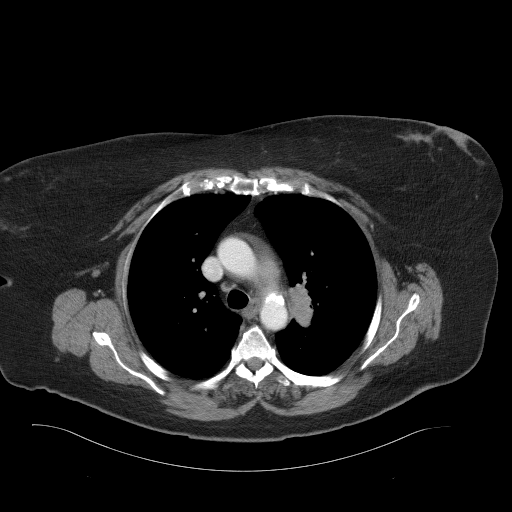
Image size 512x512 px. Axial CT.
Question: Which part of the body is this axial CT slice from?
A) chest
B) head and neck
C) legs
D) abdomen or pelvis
Answer: A) chest
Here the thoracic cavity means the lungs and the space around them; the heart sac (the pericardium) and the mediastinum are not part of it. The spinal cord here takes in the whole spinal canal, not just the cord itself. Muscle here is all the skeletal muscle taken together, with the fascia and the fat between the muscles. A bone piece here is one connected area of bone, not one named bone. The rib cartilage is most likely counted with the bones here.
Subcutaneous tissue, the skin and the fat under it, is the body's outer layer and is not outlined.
Outlines (x, y in pixels):
muscle: 262,166 293,167 309,171 349,187 359,194 382,220 376,218 374,220 377,241 400,283 410,279 409,266 426,262 433,268 440,281 443,293 441,327 439,336 435,340 420,341 410,353 382,367 353,399 341,406 312,414 285,416 272,413 257,404 244,415 212,421 189,419 169,413 145,389 131,384 103,380 91,370 86,360 70,353 61,353 53,345 51,340 53,324 51,313 54,299 58,294 76,287 83,289 88,299 95,300 103,296 113,296 116,261 129,238 124,236 116,239 114,234 101,239 134,203 158,185 190,170 207,167 227,167 246,174 249,170, around holes outlined by 222,174 307,182 335,198 365,236 375,266 376,293 382,298 381,314 370,345 361,353 361,343 330,373 344,373 338,382 317,387 291,382 286,386 276,379 280,372 275,369 255,387 232,371 216,388 194,390 191,387 201,379 171,373 172,380 167,381 155,375 142,361 139,351 148,352 130,312 125,311 122,298 123,270 131,244 160,202 185,181 and by 94,331 102,331 107,333 110,337 111,342 120,360 134,371 139,372 149,377 160,388 163,389 165,393 163,395 159,394 146,381 133,375 124,369 116,361 112,350 107,345 100,345 95,340 92,335 and by 414,293 417,293 419,295 419,302 415,309 405,315 401,320 399,324 399,331 396,338 362,370 360,370 359,367 361,364 370,355 374,353 381,347 394,334 396,321 399,316 406,309 408,305 409,299 412,294
mediastinum: 267,192 272,194 255,206 254,214 261,221 267,237 282,260 289,283 287,300 291,312 289,323 275,333 274,345 256,323 244,329 239,336 241,317 223,305 217,286 201,270 202,263 227,224 246,207 251,196
bones 1: 255,324 275,347 278,358 290,369 310,376 344,373 343,377 329,386 301,386 292,382 286,386 276,379 280,372 275,369 255,387 251,381 232,371 214,389 191,389 195,383 212,377 227,365 231,349 241,333; inner edge: 253,357 255,357 256,358 258,358 260,360 261,360 262,361 262,365 259,368 258,368 257,369 256,369 254,371 253,371 252,370 251,370 247,366 247,361 248,360 249,360 251,358 252,358
bones 2: 222,174 247,178 271,176 282,181 307,182 331,195 343,208 329,200 297,191 267,191 257,195 245,195 220,188 174,200 150,220 137,240 127,275 127,314 122,298 124,264 131,244 143,224 160,202 185,181
bones 3: 94,331 102,331 107,333 110,337 111,342 120,360 134,371 139,372 149,377 160,388 163,389 165,393 163,395 159,394 146,381 133,375 124,369 116,361 112,350 107,345 100,345 95,340 92,335
bones 4: 414,293 417,293 419,295 419,302 415,309 405,315 401,320 399,324 399,331 396,338 362,370 360,370 359,367 361,364 370,355 374,353 381,347 394,334 396,321 399,316 406,309 408,305 409,299 412,294
bones 5: 379,294 381,295 382,298 382,306 381,307 381,314 380,315 379,324 377,327 376,332 372,339 370,345 362,353 361,353 360,350 361,349 362,342 372,319 373,313 376,305 376,302 377,301 377,296
bones 6: 140,350 144,351 159,365 160,365 162,367 166,369 170,373 170,375 172,378 172,380 170,381 164,380 158,377 151,371 150,371 146,367 146,366 144,364 144,363 142,361 140,357 140,355 139,354 139,351
torso: 321,114 402,117 449,126 476,139 492,158 503,193 491,233 498,279 483,350 470,371 371,419 266,442 167,434 45,389 28,390 5,380 0,372 0,285 5,282 0,277 1,170 31,156 127,134 231,133
spinal cord: 253,357 255,357 256,358 258,358 260,360 261,360 262,361 262,365 259,368 258,368 257,369 256,369 254,371 253,371 252,370 251,370 247,366 247,361 248,360 249,360 251,358 252,358
thoracic cavity 1: 220,189 236,195 249,195 250,199 219,233 201,263 200,270 202,275 216,286 222,305 237,314 241,321 239,337 230,349 228,362 221,370 202,380 171,373 148,354 130,315 128,275 142,232 163,208 193,194
thoracic cavity 2: 296,192 329,201 345,210 365,236 376,272 376,301 361,343 337,368 322,375 298,372 278,356 275,346 276,333 283,330 292,320 288,300 290,283 282,258 268,237 262,221 255,214 256,206 266,197 278,193